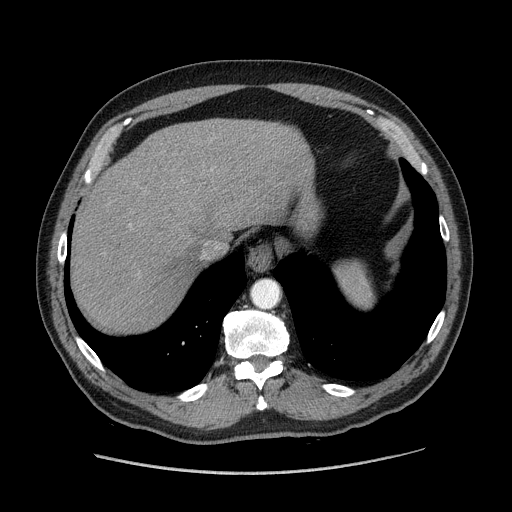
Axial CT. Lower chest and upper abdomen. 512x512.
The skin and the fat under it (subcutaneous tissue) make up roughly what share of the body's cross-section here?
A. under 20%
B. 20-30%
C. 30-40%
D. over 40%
A. under 20%
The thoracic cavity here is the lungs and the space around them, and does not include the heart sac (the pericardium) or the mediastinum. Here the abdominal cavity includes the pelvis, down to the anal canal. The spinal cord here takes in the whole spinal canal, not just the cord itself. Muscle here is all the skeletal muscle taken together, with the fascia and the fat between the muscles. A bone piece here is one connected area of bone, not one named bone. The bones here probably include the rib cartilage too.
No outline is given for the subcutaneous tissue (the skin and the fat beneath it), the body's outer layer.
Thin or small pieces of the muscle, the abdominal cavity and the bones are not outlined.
{"thoracic_cavity":[[[401,158],[427,181],[436,198],[446,259],[444,301],[424,340],[390,375],[352,386],[332,382],[304,364],[300,352],[290,345],[288,328],[294,327],[293,317],[272,271],[290,255],[312,256],[327,266],[350,307],[371,312],[394,289],[414,229],[414,204]],[[72,215],[74,221],[69,254],[71,293],[84,319],[107,336],[137,336],[157,329],[176,311],[202,272],[237,250],[243,253],[246,284],[222,318],[224,350],[202,381],[178,392],[136,389],[105,366],[78,333],[66,305],[63,281],[68,244],[67,228]]],"abdominal_cavity":[[[244,88],[267,88],[354,112],[397,144],[414,212],[393,289],[371,311],[358,311],[345,301],[325,263],[301,251],[279,260],[274,232],[262,229],[202,271],[157,328],[127,336],[98,331],[74,299],[70,254],[74,211],[110,148],[141,121]]],"mediastinum":[[[262,230],[269,230],[274,234],[273,248],[278,262],[272,269],[271,273],[282,286],[290,309],[293,327],[290,325],[287,327],[285,321],[279,315],[271,311],[252,307],[230,310],[247,284],[244,253],[239,249],[234,250],[240,244],[250,239],[256,232]]],"muscle":[{"outer":[[279,82],[297,82],[298,83],[317,84],[351,93],[385,109],[399,117],[409,126],[432,157],[441,174],[441,177],[447,189],[454,215],[454,219],[457,225],[457,232],[459,238],[459,248],[461,251],[461,269],[460,270],[461,280],[460,281],[460,290],[457,310],[450,331],[440,351],[435,359],[430,364],[429,367],[424,372],[415,377],[403,387],[381,397],[373,403],[353,413],[328,420],[299,420],[294,419],[290,418],[284,414],[279,413],[273,409],[264,410],[268,407],[268,403],[263,394],[260,392],[257,396],[255,403],[255,408],[259,411],[256,411],[247,415],[230,426],[211,430],[202,430],[193,427],[188,427],[180,424],[176,424],[160,418],[136,405],[116,398],[100,387],[93,384],[84,376],[83,373],[78,368],[76,363],[71,358],[60,341],[54,327],[53,320],[48,307],[48,299],[47,298],[48,275],[46,271],[48,267],[51,239],[54,231],[54,227],[60,205],[67,186],[72,177],[73,172],[84,151],[102,125],[114,116],[129,110],[147,100],[181,89],[216,84],[268,84]],"hole":[[244,88],[370,122],[371,109],[398,124],[427,165],[449,230],[445,316],[428,344],[352,395],[326,392],[329,381],[289,345],[261,391],[235,378],[224,350],[203,379],[206,392],[181,401],[103,373],[74,338],[57,247],[101,136],[127,117],[125,131]]}],"spinal_cord":[[[254,355],[263,355],[264,356],[265,356],[266,357],[267,357],[270,359],[270,360],[269,361],[268,364],[266,366],[266,367],[265,367],[261,371],[256,371],[255,370],[255,369],[254,368],[253,365],[248,360],[248,359],[251,356],[253,356]]],"torso":[[[266,58],[313,61],[358,72],[391,90],[415,113],[449,161],[464,195],[473,243],[469,301],[443,371],[404,408],[331,437],[283,436],[190,445],[111,419],[73,381],[46,332],[38,308],[38,231],[49,196],[75,144],[108,99],[146,77],[180,65]]],"bones":[{"outer":[[251,308],[271,312],[279,316],[284,321],[290,336],[287,350],[280,355],[284,366],[283,370],[279,374],[269,377],[265,381],[261,391],[252,380],[237,380],[235,378],[233,370],[235,360],[227,354],[224,349],[224,335],[222,332],[224,316],[229,311]],"hole":[[254,355],[263,355],[264,356],[265,356],[266,357],[267,357],[270,359],[270,360],[269,361],[268,364],[266,366],[266,367],[265,367],[261,371],[256,371],[255,370],[255,369],[254,368],[253,365],[248,360],[248,359],[251,356],[253,356]]},[[366,109],[371,109],[376,113],[380,114],[394,121],[403,129],[413,147],[418,153],[420,158],[427,165],[428,168],[428,172],[426,176],[427,179],[425,179],[406,159],[398,144],[393,139],[386,135],[383,131],[374,125],[372,121],[372,118],[366,112]],[[127,117],[131,117],[132,120],[123,128],[123,130],[120,135],[113,142],[111,147],[109,148],[107,152],[107,155],[105,157],[105,159],[99,171],[91,183],[86,184],[83,181],[82,176],[88,166],[88,163],[94,153],[95,147],[101,136],[109,127]],[[75,335],[79,335],[86,342],[86,343],[97,355],[97,356],[100,359],[101,362],[105,367],[105,369],[106,370],[104,373],[103,373],[100,370],[96,368],[86,358],[86,357],[82,353],[82,352],[80,350],[74,338],[74,336]],[[203,381],[204,382],[207,382],[208,383],[208,388],[207,389],[206,392],[202,396],[201,396],[199,398],[198,398],[195,400],[193,400],[192,401],[181,401],[180,400],[179,400],[177,398],[176,398],[176,395],[179,392],[181,392],[184,390],[189,389]],[[327,382],[331,382],[332,383],[338,383],[339,384],[344,384],[345,385],[351,386],[355,389],[355,393],[352,395],[346,396],[345,397],[344,396],[337,396],[336,395],[332,395],[326,392],[321,387],[322,383],[326,383]],[[442,308],[445,310],[445,316],[444,317],[443,322],[442,323],[442,324],[441,325],[437,334],[434,337],[434,338],[428,344],[422,344],[424,342],[424,341],[426,338],[426,336],[428,333],[428,331],[429,330],[431,325],[433,323],[436,316]],[[66,229],[67,231],[67,244],[66,245],[66,256],[65,257],[65,260],[64,261],[64,263],[63,265],[62,265],[59,263],[58,261],[58,259],[57,258],[57,247],[58,246],[58,242],[59,241],[59,238],[60,237],[60,235],[61,233],[64,230]],[[439,213],[440,213],[443,215],[443,216],[446,221],[446,223],[447,224],[447,226],[448,227],[448,229],[449,230],[449,239],[448,240],[448,241],[445,243],[444,243],[444,242],[442,239],[442,237],[441,236],[441,234],[440,233],[440,228],[439,227]]]}